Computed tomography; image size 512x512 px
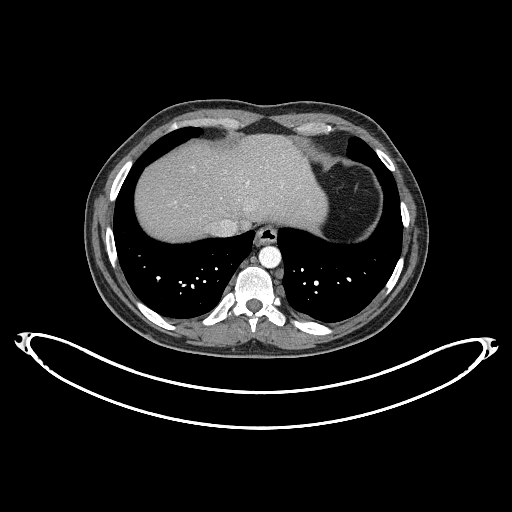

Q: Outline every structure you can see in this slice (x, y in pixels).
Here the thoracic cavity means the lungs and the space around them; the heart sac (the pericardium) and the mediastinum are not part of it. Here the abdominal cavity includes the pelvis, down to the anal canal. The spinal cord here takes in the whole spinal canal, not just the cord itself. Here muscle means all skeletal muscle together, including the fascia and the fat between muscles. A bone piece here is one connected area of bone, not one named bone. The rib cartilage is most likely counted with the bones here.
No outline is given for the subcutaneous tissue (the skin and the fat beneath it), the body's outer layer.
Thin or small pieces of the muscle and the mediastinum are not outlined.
A: {"spinal_cord":[[[253,312],[254,312],[255,311],[256,311],[257,310],[258,310],[258,309],[259,308],[260,308],[260,307],[261,306],[261,305],[260,304],[260,303],[258,301],[257,301],[256,300],[251,300],[250,301],[249,301],[247,303],[247,306]]],"torso":[[[228,358],[304,357],[338,350],[381,331],[410,299],[427,257],[429,227],[425,203],[407,163],[386,132],[369,116],[343,105],[309,100],[266,105],[234,99],[180,102],[146,120],[96,175],[86,199],[83,240],[92,280],[106,306],[126,326],[158,345]]],"bones":[{"outer":[[253,332],[258,319],[262,316],[265,316],[277,326],[282,326],[286,322],[286,316],[277,308],[280,306],[281,301],[274,295],[272,280],[268,272],[259,267],[246,267],[238,274],[235,292],[225,295],[201,323],[209,326],[231,315],[245,315],[248,317]],"hole":[[253,312],[254,312],[255,311],[256,311],[257,310],[258,310],[258,309],[259,308],[260,308],[260,307],[261,306],[261,305],[260,304],[260,303],[258,301],[257,301],[256,300],[251,300],[250,301],[249,301],[247,303],[247,306]]},[[165,134],[187,125],[208,125],[209,124],[218,124],[219,125],[224,125],[228,127],[235,127],[240,125],[241,123],[236,119],[230,119],[229,118],[206,118],[205,117],[192,118],[191,119],[181,120],[178,122],[172,123],[169,126]],[[320,336],[323,336],[324,335],[327,335],[328,334],[331,334],[333,333],[333,331],[327,326],[323,325],[320,323],[318,323],[315,321],[300,321],[295,318],[293,318],[290,320],[290,323],[294,327],[297,328],[299,330],[312,335],[319,335]],[[111,202],[115,202],[115,200],[118,195],[118,193],[121,188],[121,186],[129,170],[131,168],[134,162],[132,160],[128,160],[121,167],[121,168],[117,173],[112,183],[112,185],[111,186],[111,189],[109,193],[109,200]],[[168,330],[175,330],[176,329],[176,327],[174,325],[172,325],[164,318],[163,318],[160,315],[159,315],[157,313],[150,309],[143,303],[141,302],[136,302],[136,306],[137,308],[144,316],[145,316],[150,321],[151,321],[156,325],[162,328],[167,329]],[[113,268],[115,268],[116,267],[116,264],[117,263],[117,253],[115,249],[115,244],[114,243],[114,239],[113,238],[112,229],[110,226],[107,226],[106,227],[106,232],[105,233],[105,244],[106,245],[106,251],[107,252],[107,255],[108,256],[110,264]],[[385,296],[386,296],[392,290],[392,289],[396,284],[396,283],[402,272],[402,270],[404,267],[404,258],[402,256],[401,256],[399,258],[399,259],[398,260],[398,261],[397,262],[390,277],[388,279],[387,282],[384,286],[384,287],[385,288]],[[304,134],[310,134],[311,133],[318,133],[322,131],[330,131],[332,128],[331,126],[325,123],[316,123],[315,122],[313,122],[312,123],[310,123],[309,124],[307,124],[303,126],[300,126],[296,128],[300,131],[301,131]],[[391,173],[394,173],[395,172],[395,167],[394,166],[392,161],[390,159],[390,158],[384,152],[383,152],[381,150],[380,150],[377,148],[375,148],[374,149],[374,151],[376,153],[376,154],[378,156],[378,157],[380,159],[380,160],[386,167],[386,168]],[[404,229],[405,229],[406,228],[407,228],[409,225],[409,212],[408,211],[408,209],[407,208],[407,207],[406,206],[406,205],[405,204],[405,203],[403,201],[400,201],[400,215],[401,216],[401,222],[402,223],[402,225],[403,226],[403,228]]],"mediastinum":[[[281,283],[282,283],[283,278],[283,262],[281,258],[281,254],[277,247],[278,231],[281,229],[276,226],[268,224],[258,226],[253,229],[255,232],[255,235],[251,249],[235,272],[237,271],[238,273],[240,270],[246,266],[259,266],[261,268],[267,270]],[[210,138],[211,137],[221,136],[230,130],[239,130],[249,133],[253,132],[254,133],[275,133],[276,134],[301,135],[297,134],[288,128],[268,118],[265,118],[258,120],[245,128],[237,130],[223,130],[217,128],[201,127],[202,135],[197,137],[209,137]],[[349,159],[351,159],[350,159],[346,155],[347,143],[349,139],[353,136],[348,132],[346,132],[345,131],[336,131],[332,133],[319,135],[318,136],[310,136],[309,137],[308,136],[302,136],[305,136],[310,138],[324,149],[326,149],[335,154],[340,155]]],"abdominal_cavity":[[[345,245],[363,242],[378,224],[384,202],[379,183],[371,168],[324,150],[305,137],[230,131],[216,138],[192,138],[148,165],[135,186],[133,201],[137,220],[149,236],[160,241],[183,243],[207,238],[229,238],[268,223],[281,228],[306,231],[327,241]]],"muscle":[{"outer":[[291,350],[298,350],[299,349],[318,346],[331,340],[339,338],[363,326],[379,314],[389,304],[407,281],[414,268],[417,259],[417,254],[419,249],[419,235],[418,234],[418,213],[416,209],[414,199],[405,183],[404,176],[392,156],[370,133],[366,131],[362,127],[355,125],[351,122],[342,118],[340,116],[334,114],[331,114],[330,113],[290,113],[289,114],[281,114],[280,115],[263,115],[262,114],[250,112],[249,111],[245,111],[244,110],[240,110],[239,109],[214,108],[213,109],[200,109],[199,110],[195,110],[176,116],[164,124],[152,130],[132,147],[115,165],[113,169],[109,173],[103,187],[103,189],[96,196],[94,202],[93,219],[91,225],[91,241],[92,242],[92,246],[93,247],[93,251],[94,252],[94,256],[95,257],[96,263],[102,272],[105,279],[113,291],[119,298],[144,322],[151,327],[161,332],[177,337],[185,342],[191,344],[202,345],[203,346],[212,346],[213,347],[235,346],[236,345],[245,343],[252,339],[254,339],[261,342],[263,344],[269,344],[282,349],[290,349]],"holes":[[[320,336],[333,333],[323,323],[357,314],[384,287],[386,296],[404,267],[400,255],[402,231],[409,225],[409,212],[399,200],[392,176],[395,167],[384,152],[373,150],[345,131],[302,136],[268,118],[237,130],[198,128],[194,125],[241,124],[236,119],[199,117],[172,123],[165,135],[135,162],[128,160],[121,167],[109,193],[115,207],[113,228],[106,227],[106,251],[113,268],[119,262],[141,301],[136,306],[144,316],[168,330],[176,327],[166,318],[188,319],[206,313],[209,314],[201,321],[205,326],[231,315],[247,316],[253,332],[262,316],[282,326],[286,316],[277,308],[281,301],[274,295],[271,274],[286,290],[289,305],[314,320],[293,318],[290,323],[303,332]],[[304,134],[310,134],[311,133],[318,133],[322,131],[330,131],[332,128],[331,126],[325,123],[316,123],[315,122],[313,122],[312,123],[310,123],[309,124],[307,124],[303,126],[300,126],[296,128],[300,131],[301,131]]]},[[221,298],[225,294],[226,294],[228,292],[234,292],[234,288],[235,287],[235,281],[236,280],[236,278],[237,277],[237,272],[236,273],[235,273],[232,276],[232,277],[230,279],[230,280],[227,283],[227,284],[225,286],[225,287],[221,292]]],"thoracic_cavity":[[[170,319],[188,319],[208,313],[246,256],[254,235],[253,230],[229,239],[168,244],[149,237],[140,228],[132,201],[139,175],[148,164],[178,144],[201,135],[200,128],[192,126],[163,136],[138,158],[122,186],[113,214],[118,261],[128,283],[142,302]],[[322,323],[338,322],[361,311],[383,288],[401,253],[403,229],[394,179],[373,150],[355,137],[348,143],[347,155],[372,168],[385,199],[381,220],[373,234],[363,243],[345,246],[298,230],[279,231],[278,247],[284,262],[282,284],[288,303],[294,310]]]}